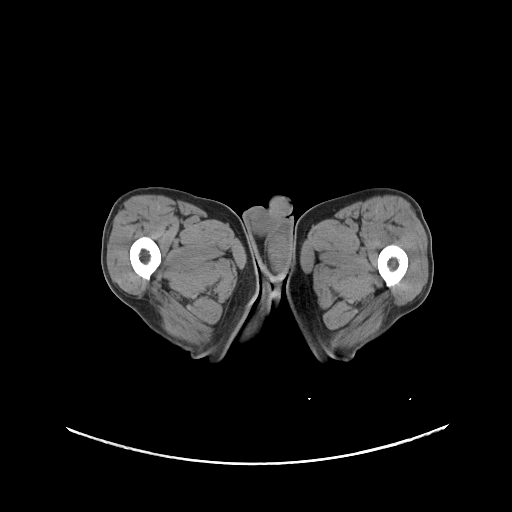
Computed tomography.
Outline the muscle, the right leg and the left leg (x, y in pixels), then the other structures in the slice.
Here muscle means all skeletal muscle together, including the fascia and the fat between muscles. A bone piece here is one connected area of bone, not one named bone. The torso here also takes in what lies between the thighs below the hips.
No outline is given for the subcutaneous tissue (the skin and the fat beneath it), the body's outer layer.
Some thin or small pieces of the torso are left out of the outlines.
Outlines (x, y in pixels):
muscle 1: (138, 194) (161, 194) (174, 200) (191, 203) (216, 219) (222, 219) (231, 225) (236, 230) (244, 246) (246, 262) (229, 299) (222, 322) (211, 341) (201, 347) (168, 333) (160, 325) (151, 305) (144, 300) (128, 296) (111, 279) (106, 262) (108, 230) (123, 202) (131, 196) with a hole at (142, 236) (147, 236) (148, 237) (150, 237) (153, 240) (154, 240) (154, 241) (157, 244) (160, 250) (160, 253) (161, 254) (161, 262) (157, 268) (151, 274) (150, 278) (148, 280) (143, 278) (135, 272) (131, 265) (130, 259) (129, 258) (129, 250) (132, 243) (136, 239)
muscle 2: (385, 194) (398, 195) (407, 200) (414, 209) (425, 231) (428, 261) (427, 282) (412, 301) (393, 308) (374, 333) (349, 347) (333, 348) (324, 340) (319, 315) (308, 288) (306, 275) (299, 262) (301, 244) (308, 226) (316, 219) (335, 213) (356, 201) (363, 201) (372, 196), around a hole outlined by (390, 244) (395, 244) (401, 247) (405, 251) (408, 257) (408, 265) (407, 266) (407, 269) (402, 278) (394, 285) (390, 287) (388, 287) (386, 285) (385, 281) (380, 275) (378, 271) (378, 269) (377, 268) (377, 258) (378, 257) (379, 252) (385, 246) (389, 245)
right leg: (148, 186) (175, 188) (229, 206) (241, 217) (255, 264) (272, 288) (271, 309) (261, 334) (257, 339) (245, 344) (238, 345) (236, 339) (217, 363) (209, 364) (203, 357) (193, 359) (187, 351) (150, 329) (111, 291) (104, 278) (100, 256) (102, 232) (109, 211) (123, 193)
left leg: (370, 187) (402, 190) (421, 207) (432, 238) (433, 282) (427, 297) (417, 308) (358, 350) (350, 361) (332, 359) (328, 364) (323, 364) (309, 349) (288, 310) (286, 280) (280, 292) (280, 315) (272, 307) (272, 287) (289, 273) (293, 233) (300, 215) (320, 202)
torso: (277, 193) (284, 194) (291, 199) (293, 205) (292, 214) (295, 222) (292, 233) (292, 249) (290, 255) (288, 273) (282, 280) (275, 285) (271, 286) (269, 281) (262, 275) (256, 264) (250, 238) (241, 215) (244, 210) (251, 206) (254, 205) (266, 206) (269, 198) (272, 195)
bones 1: (142, 236) (147, 236) (148, 237) (150, 237) (153, 240) (154, 240) (154, 241) (157, 244) (160, 250) (160, 253) (161, 254) (161, 262) (157, 268) (151, 274) (150, 278) (148, 280) (143, 278) (135, 272) (131, 265) (130, 259) (129, 258) (129, 250) (132, 243) (136, 239)
bones 2: (390, 244) (395, 244) (401, 247) (405, 251) (408, 257) (408, 265) (407, 266) (407, 269) (402, 278) (394, 285) (390, 287) (388, 287) (386, 285) (385, 281) (380, 275) (378, 271) (378, 269) (377, 268) (377, 258) (378, 257) (379, 252) (385, 246) (389, 245)